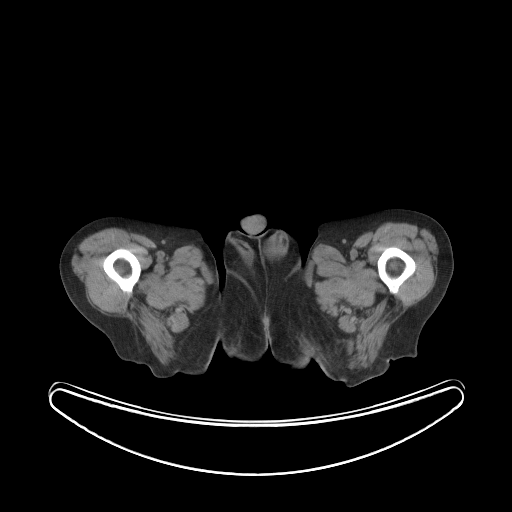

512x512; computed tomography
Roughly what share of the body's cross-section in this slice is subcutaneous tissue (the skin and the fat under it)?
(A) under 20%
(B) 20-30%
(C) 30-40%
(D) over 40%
Answer: (D) over 40%
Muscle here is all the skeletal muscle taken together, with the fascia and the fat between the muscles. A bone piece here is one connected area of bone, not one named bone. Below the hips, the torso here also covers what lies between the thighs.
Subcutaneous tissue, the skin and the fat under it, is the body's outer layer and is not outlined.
The right leg is outlined by [[106,216],[199,231],[215,258],[220,284],[225,272],[231,273],[265,300],[267,351],[263,358],[253,363],[232,359],[218,344],[204,374],[178,372],[166,378],[156,377],[146,365],[122,360],[108,338],[72,304],[59,274],[60,254],[68,239],[86,223]]. The bones appear in 2 outlined pieces: piece 1: [[390,246],[396,246],[402,250],[405,251],[412,257],[415,262],[415,270],[414,272],[401,284],[396,294],[393,294],[389,291],[389,289],[387,286],[380,279],[379,275],[378,274],[378,270],[377,269],[377,260],[380,254],[384,248],[386,247],[389,247]]; piece 2: [[118,248],[125,248],[126,249],[129,249],[136,256],[140,263],[140,266],[141,267],[140,276],[139,277],[139,279],[133,287],[132,292],[130,294],[130,295],[129,295],[126,292],[124,292],[120,288],[120,287],[106,274],[102,266],[103,259],[112,251]]. The torso is outlined by [[256,212],[259,212],[266,216],[266,226],[268,228],[281,228],[296,237],[301,251],[301,263],[266,299],[255,292],[243,278],[231,272],[225,271],[222,254],[222,245],[228,231],[231,229],[239,230],[241,228],[239,223],[240,219],[245,215]]. The muscle appears in 2 outlined pieces: piece 1: [[388,221],[415,224],[426,228],[435,237],[438,246],[437,277],[431,291],[390,327],[375,361],[369,367],[350,370],[344,363],[341,341],[337,331],[328,323],[324,313],[319,309],[308,289],[304,279],[306,267],[314,248],[318,244],[344,244],[372,227]] with a hole at [[390,246],[396,246],[402,250],[405,251],[412,257],[415,262],[415,270],[414,272],[401,284],[396,294],[393,294],[389,291],[389,289],[387,286],[380,279],[379,275],[378,274],[378,270],[377,269],[377,260],[380,254],[384,248],[386,247],[389,247]]; piece 2: [[109,227],[118,227],[145,235],[159,245],[193,244],[205,253],[209,261],[212,274],[212,299],[186,333],[178,359],[168,365],[162,364],[154,356],[139,331],[128,320],[106,316],[93,308],[87,301],[84,285],[72,270],[71,258],[78,244],[88,235]], around a hole outlined by [[118,248],[125,248],[126,249],[129,249],[136,256],[140,263],[140,266],[141,267],[140,276],[139,277],[139,279],[133,287],[132,292],[130,294],[130,295],[129,295],[126,292],[124,292],[120,288],[120,287],[106,274],[102,266],[103,259],[112,251]]. The left leg is outlined by [[388,208],[411,209],[433,217],[448,234],[453,251],[452,277],[442,300],[421,330],[417,355],[392,360],[383,374],[351,387],[327,377],[314,360],[302,370],[291,369],[276,361],[267,343],[266,300],[302,263],[317,235],[317,227],[327,221]].